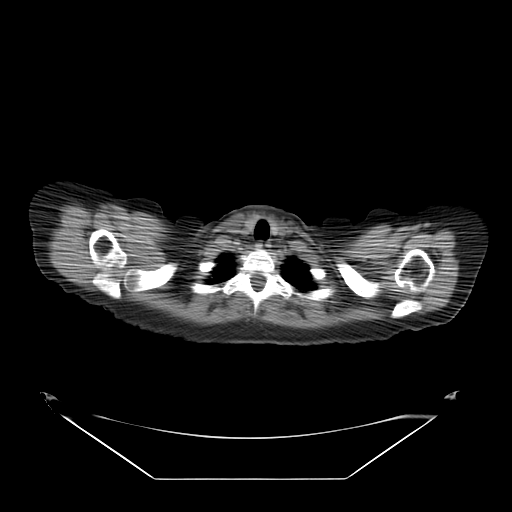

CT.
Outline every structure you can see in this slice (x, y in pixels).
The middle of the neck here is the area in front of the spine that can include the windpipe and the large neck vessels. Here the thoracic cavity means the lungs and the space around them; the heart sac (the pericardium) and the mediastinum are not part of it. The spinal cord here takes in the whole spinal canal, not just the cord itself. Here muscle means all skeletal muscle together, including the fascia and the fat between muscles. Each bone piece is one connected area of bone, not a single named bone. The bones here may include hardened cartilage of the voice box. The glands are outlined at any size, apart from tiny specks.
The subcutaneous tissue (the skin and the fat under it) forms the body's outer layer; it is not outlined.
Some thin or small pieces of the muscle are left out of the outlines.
The torso is outlined by (136, 196) (155, 200) (173, 219) (189, 211) (211, 221) (256, 203) (306, 223) (328, 215) (355, 222) (376, 207) (407, 214) (385, 237) (376, 276) (396, 305) (431, 326) (384, 341) (298, 346) (190, 342) (125, 324) (62, 289) (106, 283) (137, 264) (144, 234) (124, 198). The bones appear in 7 outlined pieces: piece 1: (99, 228) (112, 232) (122, 249) (128, 253) (126, 269) (134, 267) (153, 270) (161, 264) (174, 261) (177, 263) (176, 270) (170, 279) (159, 287) (142, 291) (128, 291) (122, 283) (119, 299) (108, 296) (90, 281) (99, 270) (94, 266) (89, 254) (89, 237) (92, 231); piece 2: (255, 248) (275, 254) (282, 262) (280, 274) (298, 290) (305, 292) (331, 286) (334, 293) (321, 301) (294, 294) (285, 299) (275, 294) (263, 300) (254, 313) (251, 299) (241, 291) (229, 295) (222, 291) (193, 292) (192, 282) (215, 284) (229, 279) (240, 264) (237, 257), around a hole outlined by (256, 272) (260, 272) (261, 275) (264, 278) (264, 279) (265, 280) (265, 281) (264, 282) (264, 284) (263, 285) (262, 288) (259, 290) (256, 290) (253, 287) (253, 285) (251, 283) (251, 278) (252, 277) (253, 274); piece 3: (412, 248) (420, 248) (423, 249) (431, 258) (435, 268) (435, 273) (433, 279) (426, 288) (426, 290) (419, 293) (411, 293) (410, 291) (407, 289) (403, 289) (399, 286) (396, 286) (392, 278) (393, 272) (396, 268) (396, 264) (400, 259) (401, 256) (407, 250); piece 4: (340, 257) (342, 258) (344, 261) (348, 263) (363, 277) (371, 281) (380, 281) (382, 286) (382, 289) (380, 291) (379, 294) (376, 297) (367, 299) (356, 294) (350, 289) (350, 288) (346, 284) (344, 279) (338, 270) (338, 268) (336, 266) (336, 262) (338, 258); piece 5: (403, 298) (405, 299) (411, 298) (412, 299) (415, 299) (416, 300) (420, 301) (422, 305) (422, 308) (417, 311) (412, 312) (405, 316) (403, 316) (399, 318) (392, 318) (390, 316) (390, 314) (392, 311) (392, 309) (394, 305) (396, 303) (396, 302) (400, 301); piece 6: (209, 261) (212, 261) (213, 262) (215, 262) (216, 264) (215, 266) (211, 270) (211, 271) (209, 272) (207, 274) (207, 275) (205, 275) (204, 273) (202, 273) (200, 272) (198, 268) (198, 266) (199, 264) (202, 262) (208, 262); piece 7: (311, 267) (312, 267) (313, 268) (321, 268) (322, 269) (323, 269) (325, 271) (325, 277) (323, 279) (321, 279) (320, 280) (314, 280) (313, 279) (313, 278) (312, 277) (312, 276) (311, 275) (311, 274) (310, 273) (310, 271) (309, 270) (310, 269) (310, 268). The spinal cord is outlined by (256, 272) (260, 272) (261, 275) (264, 278) (264, 279) (265, 280) (265, 281) (264, 282) (264, 284) (263, 285) (262, 288) (259, 290) (256, 290) (253, 287) (253, 285) (251, 283) (251, 278) (252, 277) (253, 274). The thoracic cavity appears in 2 outlined pieces: piece 1: (288, 256) (295, 256) (300, 260) (303, 261) (309, 267) (309, 269) (308, 270) (312, 278) (312, 280) (316, 286) (316, 288) (313, 288) (312, 289) (306, 290) (305, 291) (303, 290) (300, 290) (296, 287) (295, 287) (283, 277) (280, 271) (280, 265) (282, 264) (283, 261); piece 2: (222, 254) (231, 254) (234, 256) (235, 258) (235, 262) (236, 263) (236, 266) (235, 267) (236, 271) (233, 275) (224, 281) (222, 281) (221, 282) (216, 282) (215, 283) (208, 283) (206, 282) (208, 279) (212, 276) (212, 270) (217, 264) (216, 260) (219, 256). The middle of the neck is outlined by (260, 215) (267, 216) (269, 218) (270, 232) (273, 235) (276, 235) (279, 232) (280, 227) (286, 227) (290, 231) (289, 236) (285, 240) (278, 243) (275, 247) (267, 249) (263, 247) (254, 247) (232, 233) (231, 229) (233, 225) (237, 223) (243, 223) (244, 226) (250, 231). The left arm is outlined by (454, 201) (470, 204) (476, 207) (483, 214) (489, 231) (488, 247) (475, 283) (465, 304) (451, 321) (446, 324) (432, 326) (418, 319) (407, 310) (396, 304) (383, 291) (377, 276) (377, 260) (380, 249) (386, 237) (390, 231) (404, 217) (408, 214) (412, 214) (430, 203). The thyroid glands appear in 2 outlined pieces: piece 1: (253, 214) (256, 214) (257, 215) (258, 215) (258, 216) (257, 217) (257, 218) (255, 220) (255, 221) (254, 222) (254, 224) (253, 225) (252, 228) (250, 230) (249, 230) (245, 226) (244, 223) (245, 222) (245, 221) (250, 216) (251, 216); piece 2: (270, 218) (272, 218) (275, 221) (275, 222) (276, 223) (277, 223) (277, 224) (278, 225) (278, 226) (279, 227) (279, 229) (278, 230) (278, 232) (276, 234) (273, 234) (271, 232) (271, 224) (270, 223). The muscle is outlined by (74, 201) (110, 202) (150, 213) (184, 237) (248, 210) (280, 213) (316, 240) (385, 222) (438, 222) (459, 236) (461, 275) (445, 306) (408, 315) (423, 305) (403, 297) (393, 305) (391, 321) (357, 321) (323, 329) (253, 321) (196, 325) (117, 300) (122, 297) (122, 284) (128, 292) (166, 284) (178, 263) (126, 268) (129, 253) (104, 227) (92, 230) (88, 237) (88, 254) (98, 270) (89, 281) (100, 291) (86, 290) (50, 264) (48, 235) (53, 218); inner edges: (253, 214) (289, 229) (289, 236) (268, 250) (282, 262) (295, 256) (323, 269) (325, 277) (313, 282) (333, 287) (331, 296) (319, 301) (275, 294) (254, 313) (241, 291) (192, 291) (192, 282) (212, 276) (200, 272) (200, 263) (222, 254) (236, 259) (255, 248) (231, 231), then (412, 248) (420, 248) (423, 249) (431, 258) (435, 268) (435, 273) (433, 279) (426, 288) (426, 290) (419, 293) (411, 293) (410, 291) (407, 289) (403, 289) (399, 286) (396, 286) (392, 278) (393, 272) (396, 268) (396, 264) (400, 259) (401, 256) (407, 250), then (340, 257) (342, 258) (344, 261) (348, 263) (363, 277) (371, 281) (380, 281) (382, 286) (382, 289) (380, 291) (379, 294) (376, 297) (367, 299) (356, 294) (350, 289) (350, 288) (346, 284) (344, 279) (338, 270) (338, 268) (336, 266) (336, 262) (338, 258). The right arm is outlined by (54, 178) (74, 179) (94, 186) (107, 188) (113, 191) (118, 197) (123, 198) (134, 209) (139, 219) (143, 234) (143, 249) (139, 260) (128, 272) (106, 282) (72, 288) (61, 288) (54, 282) (45, 278) (41, 273) (33, 256) (27, 209) (30, 198) (36, 188) (40, 184).